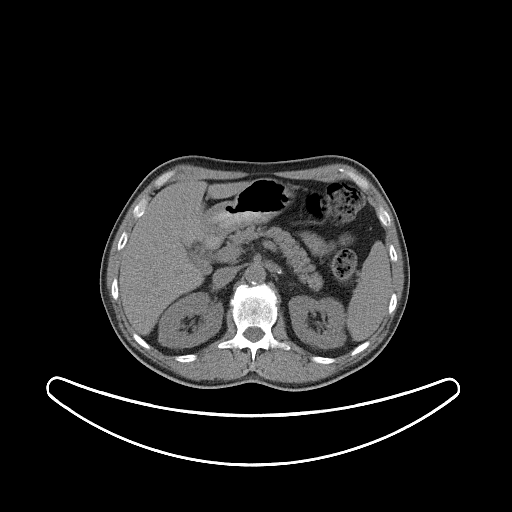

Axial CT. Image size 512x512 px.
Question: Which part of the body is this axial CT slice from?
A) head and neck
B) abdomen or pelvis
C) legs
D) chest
Answer: B) abdomen or pelvis
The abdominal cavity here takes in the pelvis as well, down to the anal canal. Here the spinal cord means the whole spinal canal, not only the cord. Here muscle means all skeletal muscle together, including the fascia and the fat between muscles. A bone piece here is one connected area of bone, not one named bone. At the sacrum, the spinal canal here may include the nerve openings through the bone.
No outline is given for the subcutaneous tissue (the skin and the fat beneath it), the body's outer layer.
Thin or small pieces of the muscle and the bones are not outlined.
Outlines:
torso: 189 154; 246 161; 337 154; 360 162; 376 176; 401 226; 409 257; 410 281; 407 303; 397 328; 373 360; 337 381; 303 391; 286 391; 254 382; 205 389; 158 374; 126 349; 112 328; 100 296; 103 250; 116 218; 140 181; 159 164
spinal cord: 250 327; 257 327; 258 328; 259 328; 263 332; 263 335; 262 336; 262 337; 261 338; 260 338; 258 340; 257 340; 256 341; 251 341; 249 339; 248 339; 247 338; 246 338; 245 337; 245 336; 244 335; 244 332; 248 328; 249 328
muscle: 333 163; 355 168; 374 185; 390 210; 401 249; 404 281; 400 302; 387 333; 375 348; 327 377; 292 383; 273 381; 251 372; 228 380; 189 379; 151 360; 129 342; 110 302; 106 285; 108 259; 127 211; 156 178; 153 186; 157 188; 150 198; 144 194; 132 209; 136 219; 129 233; 123 230; 118 238; 116 249; 122 251; 117 277; 110 286; 110 295; 115 301; 119 298; 133 329; 132 337; 140 346; 147 350; 152 346; 181 363; 193 362; 198 357; 196 352; 223 336; 230 309; 235 333; 216 346; 248 349; 250 371; 255 370; 259 349; 288 351; 291 348; 272 332; 279 310; 288 338; 312 354; 310 359; 315 363; 331 364; 338 356; 350 352; 353 357; 366 349; 386 314; 396 309; 392 262; 398 260; 398 255; 392 243; 388 249; 386 245; 384 227; 390 226; 391 217; 382 205; 375 208; 371 203; 365 178; 343 167; 338 170; 349 178; 328 181; 272 174; 229 179; 182 177; 168 181; 176 171; 164 172; 178 164; 251 173; 303 170
bones 1: 253 283; 265 283; 274 291; 277 297; 278 316; 271 332; 275 339; 285 342; 290 348; 259 348; 253 360; 254 370; 250 370; 252 359; 248 348; 219 348; 217 345; 232 338; 236 333; 230 306; 235 289; 241 284 with a hole at 250 327; 257 327; 258 328; 259 328; 263 332; 263 335; 262 336; 262 337; 261 338; 260 338; 258 340; 257 340; 256 341; 251 341; 249 339; 248 339; 247 338; 246 338; 245 337; 245 336; 244 335; 244 332; 248 328; 249 328
bones 2: 339 168; 343 168; 345 170; 349 170; 350 171; 352 171; 356 174; 359 175; 364 179; 365 179; 367 181; 367 183; 368 184; 368 188; 365 190; 361 187; 360 187; 353 180; 352 180; 347 175; 346 175; 345 173; 341 172; 339 170
bones 3: 144 195; 147 195; 147 197; 148 198; 148 201; 147 202; 147 204; 145 206; 145 209; 144 210; 143 213; 139 217; 138 217; 137 218; 135 218; 133 216; 133 209; 134 208; 134 207; 139 202; 139 201; 142 198; 142 197
bones 4: 379 205; 380 205; 383 207; 383 208; 388 213; 388 214; 390 217; 390 224; 389 225; 389 226; 384 226; 383 225; 382 225; 382 224; 381 223; 381 222; 380 221; 380 220; 377 215; 377 213; 376 212; 376 209; 377 208; 377 207
bones 5: 172 170; 174 170; 175 171; 175 173; 165 183; 164 183; 161 186; 160 186; 159 187; 155 187; 154 186; 154 182; 155 181; 155 180; 160 175; 161 175; 162 174; 163 174; 164 173; 165 173; 166 172; 167 172; 168 171; 171 171
bones 6: 184 354; 195 354; 197 356; 197 357; 196 358; 196 359; 195 360; 194 360; 193 361; 191 361; 190 362; 181 362; 180 361; 178 361; 177 360; 176 360; 175 359; 175 358; 174 357; 176 355; 183 355
bones 7: 313 356; 322 356; 323 357; 331 357; 332 358; 335 358; 335 361; 334 361; 333 362; 332 362; 331 363; 318 363; 317 362; 315 362; 314 361; 313 361; 311 359; 311 357; 312 357
bones 8: 123 231; 126 231; 126 232; 128 234; 128 235; 127 236; 127 241; 126 242; 126 243; 125 244; 124 247; 122 249; 121 249; 120 250; 118 250; 117 249; 117 244; 118 243; 118 241; 119 240; 119 238; 120 237; 121 234; 123 232
bones 9: 115 277; 116 277; 117 278; 117 286; 118 287; 118 298; 116 300; 115 300; 112 297; 112 296; 111 295; 111 286; 112 285; 112 281; 113 280; 113 279
bones 10: 393 292; 394 293; 395 293; 395 294; 396 295; 396 299; 397 300; 397 301; 396 302; 396 306; 395 307; 395 309; 392 312; 392 313; 389 314; 388 313; 388 305; 389 304; 389 301; 390 300; 390 297; 391 296; 391 294
bones 11: 368 340; 369 341; 369 345; 366 348; 365 348; 362 351; 361 351; 360 352; 357 353; 355 355; 354 355; 353 356; 352 356; 350 354; 351 351; 354 348; 355 348; 358 345; 361 344; 363 342; 365 342
bones 12: 134 332; 135 332; 139 336; 140 336; 150 346; 150 347; 149 348; 149 349; 147 349; 146 348; 145 348; 144 347; 143 347; 141 345; 140 345; 134 339; 134 338; 133 337; 133 333
abdominal cavity: 264 175; 322 182; 350 179; 367 193; 383 226; 391 261; 391 293; 377 330; 341 355; 314 355; 289 338; 275 291; 265 282; 253 282; 234 289; 219 339; 194 353; 175 355; 150 345; 122 309; 118 271; 128 236; 151 196; 182 178